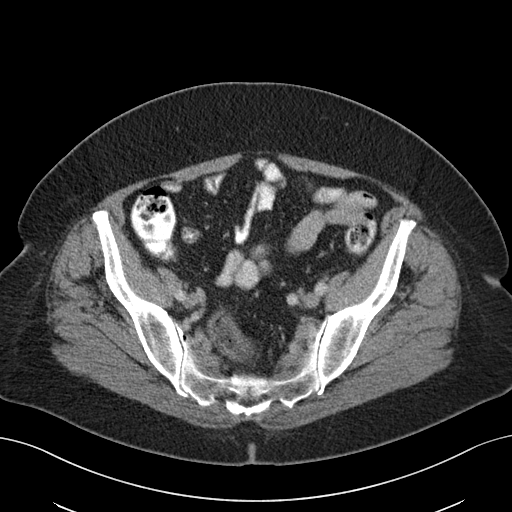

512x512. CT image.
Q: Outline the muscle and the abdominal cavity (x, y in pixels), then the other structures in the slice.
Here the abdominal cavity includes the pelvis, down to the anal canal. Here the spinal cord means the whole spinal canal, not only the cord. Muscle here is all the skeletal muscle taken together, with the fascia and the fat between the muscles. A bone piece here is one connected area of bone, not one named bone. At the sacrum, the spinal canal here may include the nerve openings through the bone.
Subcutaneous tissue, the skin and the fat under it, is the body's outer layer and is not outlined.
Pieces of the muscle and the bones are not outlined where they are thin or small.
A: muscle 1: 259,149 261,150 267,149 273,151 277,150 280,152 284,152 300,157 306,157 329,164 337,165 360,173 365,173 402,191 412,202 415,203 421,209 426,216 427,223 432,229 435,230 439,234 443,241 444,246 451,256 456,267 458,280 461,285 461,309 459,313 458,326 455,334 455,349 451,362 444,369 408,387 397,389 375,399 364,402 362,404 339,411 334,414 328,415 298,427 279,431 272,431 270,429 267,429 257,424 252,420 242,421 232,427 221,429 196,426 180,418 160,412 146,404 143,404 138,401 119,395 87,378 74,375 57,361 50,349 52,345 52,334 46,320 47,317 46,316 45,288 48,283 54,256 57,252 58,247 61,245 62,241 65,238 69,230 68,227 72,224 73,221 87,212 91,207 94,206 106,195 138,180 141,180 146,177 151,177 155,175 175,171 192,164 196,164 205,160 232,154 239,151 with a hole at 250,155 361,178 397,203 366,259 330,280 328,314 369,295 399,220 416,225 346,369 320,395 246,416 223,396 201,406 178,394 152,364 106,282 91,214 109,212 133,291 168,310 181,279 143,264 123,201
muscle 2: 318,326 318,328 309,346 307,348 307,351 304,357 303,362 296,372 289,377 283,377 282,378 272,378 271,376 267,376 263,374 264,373 271,373 273,371 275,365 275,362 287,353 295,341 315,327
muscle 3: 185,332 200,345 205,347 208,350 219,355 226,361 230,362 237,369 238,369 240,372 237,372 236,373 234,373 233,374 231,374 224,377 220,377 214,374 199,361 196,354 192,349 191,346 189,344 185,337
abdominal cavity: 250,155 273,156 297,171 361,178 397,203 383,215 380,239 366,259 330,280 319,324 262,374 240,371 184,331 167,310 180,277 171,267 155,271 143,264 124,227 123,201 139,188 160,179 193,180
bones: 100,209 109,212 128,284 168,312 198,361 220,378 296,373 324,317 372,291 399,220 416,225 397,287 346,369 320,395 291,408 275,399 246,416 228,411 223,396 201,406 178,394 149,360 105,279 91,219; inner edge: 249,398 250,398 251,399 260,399 260,400 258,402 257,402 256,403 254,403 253,404 252,404 251,405 245,405 244,404 242,404 241,403 240,403 239,402 239,401 241,399 248,399
torso: 235,81 304,85 360,102 419,135 461,172 491,211 508,252 509,266 501,284 511,293 511,390 422,431 367,450 305,463 240,466 143,451 0,398 0,270 22,249 17,221 35,185 77,143 119,114 179,89
spinal cord: 249,398 250,398 251,399 260,399 260,400 258,402 257,402 256,403 254,403 253,404 252,404 251,405 245,405 244,404 242,404 241,403 240,403 239,402 239,401 241,399 248,399